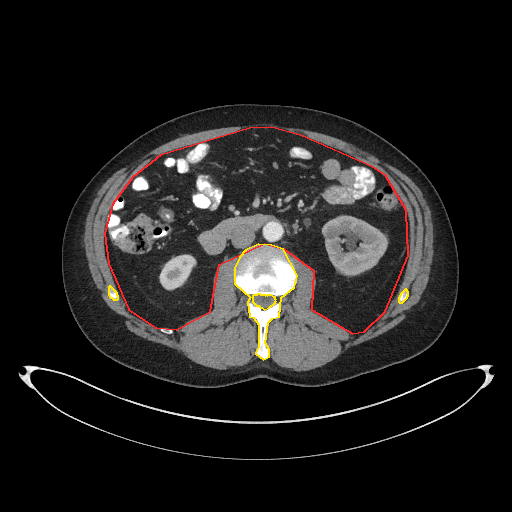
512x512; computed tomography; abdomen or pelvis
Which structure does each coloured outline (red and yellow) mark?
red: abdominal cavity; yellow: bones.
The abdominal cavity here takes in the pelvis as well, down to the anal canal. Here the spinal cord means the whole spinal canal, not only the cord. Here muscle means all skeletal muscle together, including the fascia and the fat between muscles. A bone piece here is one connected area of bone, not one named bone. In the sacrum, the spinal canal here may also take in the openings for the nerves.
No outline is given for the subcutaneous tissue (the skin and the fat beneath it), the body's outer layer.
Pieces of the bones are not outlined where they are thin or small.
{"abdominal_cavity":[[[352,333],[364,331],[385,311],[408,255],[406,210],[385,175],[373,167],[300,135],[271,127],[249,128],[160,155],[132,177],[112,204],[104,233],[108,263],[128,309],[155,327],[176,329],[210,311],[219,264],[264,243],[283,248],[313,270],[311,309]]],"bones":[{"outer":[[263,359],[269,356],[269,349],[265,343],[268,322],[272,318],[279,316],[281,297],[294,287],[297,275],[283,249],[271,245],[258,244],[245,250],[239,257],[234,268],[234,283],[250,297],[247,302],[249,316],[253,317],[258,324],[258,346],[255,353]],"hole":[[264,309],[269,307],[275,302],[275,301],[276,300],[275,299],[275,297],[274,297],[271,295],[267,295],[266,296],[265,295],[261,295],[260,294],[257,294],[256,295],[253,295],[252,296],[252,301],[256,305],[258,305],[260,307],[261,307]]},[[113,299],[117,299],[118,298],[118,296],[117,295],[117,293],[110,286],[109,286],[108,287],[108,294],[109,295],[109,296],[110,297],[111,297]],[[399,302],[402,302],[407,297],[407,296],[408,295],[408,292],[407,291],[407,290],[406,289],[405,289],[400,294],[400,295],[399,296],[399,297],[398,298],[398,301]]],"spinal_cord":[[[264,309],[269,307],[275,302],[275,301],[276,300],[275,299],[275,297],[274,297],[271,295],[267,295],[266,296],[265,295],[261,295],[260,294],[257,294],[256,295],[253,295],[252,296],[252,301],[256,305],[258,305],[260,307],[261,307]]],"muscle":[{"outer":[[295,371],[322,366],[348,348],[389,330],[419,301],[429,278],[433,225],[430,209],[415,183],[398,169],[351,143],[272,123],[182,135],[148,151],[108,178],[91,204],[83,234],[88,266],[101,296],[136,335],[173,348],[198,364],[227,369],[262,360],[254,353],[257,324],[248,316],[249,297],[233,283],[238,257],[225,258],[215,272],[213,309],[188,320],[171,335],[162,333],[127,309],[105,257],[103,233],[105,216],[131,177],[166,151],[258,126],[306,136],[342,150],[386,175],[400,195],[410,225],[408,261],[398,291],[375,324],[360,334],[352,334],[310,309],[315,276],[305,263],[289,256],[298,280],[282,297],[280,316],[269,322],[266,343],[270,356],[266,360]],"holes":[[[113,299],[117,299],[118,298],[118,296],[117,295],[117,293],[110,286],[109,286],[108,287],[108,294],[109,295],[109,296],[110,297],[111,297]],[[399,302],[402,302],[407,297],[407,296],[408,295],[408,292],[407,291],[407,290],[406,289],[405,289],[400,294],[400,295],[399,296],[399,297],[398,298],[398,301]]]}],"torso":[[[196,388],[260,377],[305,387],[329,385],[404,362],[438,339],[456,303],[457,246],[438,192],[410,158],[372,130],[333,113],[292,105],[237,103],[167,120],[135,138],[96,172],[74,202],[62,238],[62,281],[70,311],[85,337],[105,356],[154,378]]]}